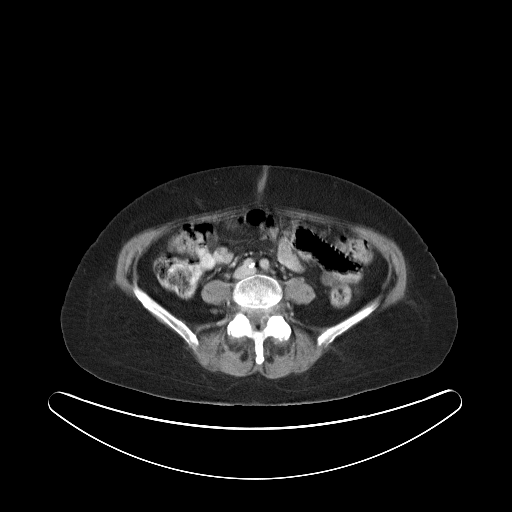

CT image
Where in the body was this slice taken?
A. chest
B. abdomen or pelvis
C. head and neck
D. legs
B. abdomen or pelvis
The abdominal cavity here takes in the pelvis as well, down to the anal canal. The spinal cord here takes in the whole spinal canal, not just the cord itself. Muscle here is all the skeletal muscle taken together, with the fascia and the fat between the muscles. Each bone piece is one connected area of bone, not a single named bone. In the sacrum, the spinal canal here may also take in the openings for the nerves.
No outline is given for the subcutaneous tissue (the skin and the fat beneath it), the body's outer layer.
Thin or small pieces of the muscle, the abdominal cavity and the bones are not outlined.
The muscle appears in 5 outlined pieces: piece 1: (233, 299) (238, 308) (226, 323) (226, 334) (233, 338) (251, 339) (257, 365) (264, 362) (267, 338) (287, 341) (292, 334) (290, 324) (278, 312) (282, 299) (292, 306) (292, 314) (299, 321) (297, 328) (303, 334) (315, 341) (318, 347) (331, 343) (331, 347) (306, 371) (280, 378) (267, 378) (257, 372) (233, 376) (208, 371) (185, 347) (184, 341) (194, 351) (199, 340) (180, 319) (190, 323) (219, 319) (215, 323) (220, 326) (227, 321) (224, 317); piece 2: (256, 201) (269, 206) (304, 210) (363, 225) (392, 239) (400, 248) (406, 265) (406, 290) (403, 299) (358, 323) (371, 314) (380, 304) (380, 299) (376, 297) (382, 291) (388, 275) (388, 263) (382, 254) (364, 237) (347, 228) (281, 215) (268, 208) (251, 208) (219, 219) (185, 221) (153, 241) (137, 261) (136, 271) (138, 284) (134, 283) (131, 288) (142, 307) (114, 282) (119, 252) (131, 237) (148, 228) (157, 227) (178, 218) (227, 208) (240, 208); piece 3: (296, 277) (299, 277) (300, 278) (301, 277) (303, 278) (304, 281) (310, 286) (311, 286) (315, 293) (315, 297) (309, 303) (307, 304) (293, 304) (287, 298) (283, 297) (283, 288) (284, 287) (284, 285) (283, 284) (284, 282) (287, 280) (289, 280) (291, 278) (295, 278); piece 4: (216, 279) (221, 280) (224, 282) (227, 282) (229, 284) (229, 286) (230, 287) (230, 293) (227, 297) (226, 300) (224, 300) (216, 305) (213, 305) (212, 304) (209, 304) (203, 300) (203, 299) (201, 297) (201, 290) (202, 289) (204, 284) (205, 284) (212, 280) (215, 280); piece 5: (150, 313) (151, 313) (153, 315) (154, 315) (156, 317) (157, 317) (160, 320) (161, 320) (161, 321) (163, 323) (164, 323) (166, 325) (167, 325) (172, 330) (173, 330) (175, 332) (172, 331) (169, 328) (168, 328) (165, 325) (164, 325) (162, 323) (159, 322). The abdominal cavity is outlined by (251, 209) (337, 226) (364, 238) (387, 263) (381, 291) (315, 340) (298, 328) (293, 314) (291, 303) (307, 305) (316, 297) (301, 276) (285, 280) (282, 287) (274, 277) (253, 272) (235, 283) (222, 318) (190, 322) (177, 317) (140, 286) (140, 257) (185, 222) (219, 220) with a hole at (216, 279) (221, 280) (224, 282) (227, 282) (229, 284) (229, 286) (230, 287) (230, 293) (227, 297) (226, 300) (224, 300) (216, 305) (213, 305) (212, 304) (209, 304) (203, 300) (203, 299) (201, 297) (201, 290) (202, 289) (204, 284) (205, 284) (212, 280) (215, 280). The bones appear in 3 outlined pieces: piece 1: (253, 273) (265, 274) (277, 280) (282, 288) (282, 297) (277, 304) (277, 312) (291, 328) (291, 334) (287, 340) (279, 340) (272, 336) (264, 340) (264, 359) (261, 364) (255, 362) (254, 341) (247, 336) (230, 336) (226, 329) (227, 323) (239, 308) (233, 298) (236, 283) with a hole at (253, 310) (259, 310) (260, 311) (265, 313) (265, 314) (267, 316) (267, 318) (266, 319) (266, 321) (265, 322) (265, 324) (262, 327) (261, 327) (260, 326) (253, 326) (252, 325) (252, 324) (251, 323) (251, 322) (250, 321) (250, 320) (249, 319) (247, 314); piece 2: (134, 284) (138, 285) (154, 300) (155, 300) (174, 316) (181, 320) (195, 334) (198, 340) (198, 345) (194, 350) (192, 349) (192, 348) (173, 329) (172, 329) (167, 324) (163, 322) (162, 320) (157, 316) (146, 309) (142, 305) (142, 304) (139, 301) (133, 292) (132, 288); piece 3: (375, 298) (378, 298) (379, 299) (379, 304) (371, 313) (363, 319) (360, 320) (357, 323) (351, 326) (343, 333) (337, 336) (333, 341) (330, 343) (326, 345) (323, 344) (320, 346) (318, 346) (317, 345) (316, 343) (317, 338) (319, 336) (321, 336) (325, 330) (350, 316). The spinal cord is outlined by (253, 310) (259, 310) (260, 311) (265, 313) (265, 314) (267, 316) (267, 318) (266, 319) (266, 321) (265, 322) (265, 324) (262, 327) (261, 327) (260, 326) (253, 326) (252, 325) (252, 324) (251, 323) (251, 322) (250, 321) (250, 320) (249, 319) (247, 314). The torso is outlined by (249, 162) (292, 164) (343, 176) (379, 194) (408, 219) (427, 244) (455, 296) (457, 332) (449, 352) (436, 369) (416, 378) (329, 401) (216, 405) (168, 399) (110, 383) (84, 370) (72, 359) (62, 337) (60, 309) (82, 255) (106, 223) (136, 196) (171, 177) (210, 166).